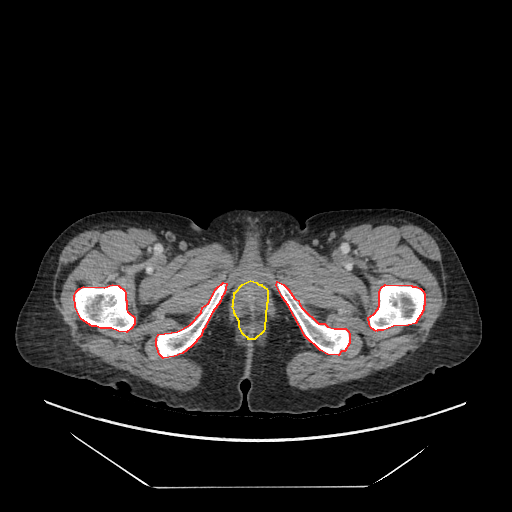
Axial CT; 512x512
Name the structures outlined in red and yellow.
red: bones; yellow: abdominal cavity.
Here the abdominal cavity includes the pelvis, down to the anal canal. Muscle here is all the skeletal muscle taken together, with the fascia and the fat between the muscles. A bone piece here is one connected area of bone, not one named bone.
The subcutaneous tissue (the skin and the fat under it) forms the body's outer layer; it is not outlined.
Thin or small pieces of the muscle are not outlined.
bones 1: [[112,284],[118,285],[124,290],[125,292],[125,299],[126,300],[126,309],[127,311],[134,317],[134,324],[131,328],[126,332],[118,331],[111,328],[100,328],[96,326],[92,326],[81,319],[75,307],[74,295],[76,291],[79,288],[83,286],[104,287]]
bones 2: [[385,284],[411,285],[412,286],[416,286],[420,288],[423,291],[424,293],[424,305],[423,306],[423,310],[415,323],[408,325],[393,326],[383,330],[377,330],[376,331],[371,328],[369,324],[368,317],[373,314],[378,308],[379,305],[379,292],[381,287]]
bones 3: [[277,281],[283,284],[288,289],[294,298],[298,300],[299,304],[302,308],[318,323],[324,323],[327,326],[334,328],[345,328],[348,331],[349,334],[349,343],[344,351],[341,351],[338,355],[327,354],[320,350],[305,336],[288,305],[282,297],[276,285]]
bones 4: [[223,282],[226,283],[224,293],[221,297],[220,301],[212,312],[205,325],[205,327],[202,330],[201,335],[191,346],[182,353],[174,356],[163,358],[159,354],[156,345],[156,338],[158,334],[177,331],[190,324],[201,312],[202,307],[208,303],[216,288]]
abdominal cavity: [[250,280],[256,282],[258,284],[261,284],[261,285],[266,288],[267,290],[267,302],[266,303],[264,328],[263,331],[254,339],[248,339],[248,338],[243,334],[239,327],[239,321],[234,313],[234,310],[232,306],[233,305],[234,292],[235,292],[242,284]]
muscle: [[388,221],[411,223],[433,237],[442,258],[446,303],[411,355],[361,378],[305,390],[289,385],[286,364],[305,343],[299,327],[327,355],[344,352],[350,334],[345,327],[318,322],[278,280],[293,317],[271,291],[261,343],[238,344],[227,295],[192,351],[203,374],[188,391],[153,384],[81,349],[54,305],[61,251],[93,228],[150,229],[170,258],[213,242],[240,258],[245,250],[261,257],[287,240],[325,254],[346,229]] with holes at [[112,284],[118,285],[124,290],[125,292],[125,299],[126,300],[126,309],[127,311],[134,317],[134,324],[131,328],[126,332],[118,331],[111,328],[100,328],[96,326],[92,326],[81,319],[75,307],[74,295],[76,291],[79,288],[83,286],[104,287]] and at [[385,284],[411,285],[412,286],[416,286],[420,288],[423,291],[424,293],[424,305],[423,306],[423,310],[415,323],[408,325],[393,326],[383,330],[377,330],[376,331],[371,328],[369,324],[368,317],[373,314],[378,308],[379,305],[379,292],[381,287]] and at [[250,280],[256,282],[258,284],[261,284],[261,285],[266,288],[267,290],[267,302],[266,303],[264,328],[263,331],[254,339],[248,339],[248,338],[243,334],[239,327],[239,321],[234,313],[234,310],[232,306],[233,305],[234,292],[235,292],[242,284]] and at [[223,282],[226,283],[224,293],[221,297],[220,301],[212,312],[205,325],[205,327],[202,330],[201,335],[191,346],[182,353],[174,356],[163,358],[159,354],[156,345],[156,338],[158,334],[177,331],[190,324],[201,312],[202,307],[208,303],[216,288]]
torso: [[235,208],[283,210],[302,226],[316,213],[355,208],[428,218],[475,293],[480,344],[463,363],[393,393],[296,414],[249,410],[247,379],[239,409],[210,413],[30,365],[16,346],[17,317],[66,227],[100,211],[152,210],[205,228]]